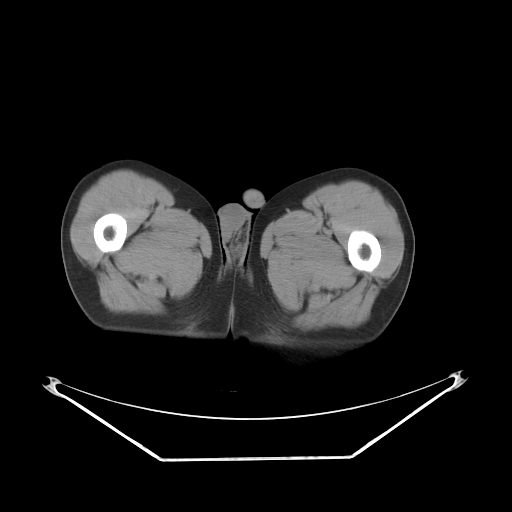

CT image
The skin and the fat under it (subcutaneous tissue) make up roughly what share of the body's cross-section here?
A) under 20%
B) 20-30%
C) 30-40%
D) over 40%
Answer: D) over 40%
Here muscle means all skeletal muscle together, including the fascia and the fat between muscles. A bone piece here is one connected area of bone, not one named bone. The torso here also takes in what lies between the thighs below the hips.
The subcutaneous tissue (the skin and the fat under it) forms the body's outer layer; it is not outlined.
{"right_leg":[[[118,158],[136,158],[144,160],[174,174],[196,188],[210,202],[215,210],[220,241],[232,282],[229,334],[223,343],[209,343],[186,339],[174,339],[103,331],[89,321],[76,302],[68,285],[61,257],[60,225],[63,211],[73,187],[84,174],[105,162]]],"muscle":[{"outer":[[351,178],[365,181],[377,187],[396,210],[404,234],[404,252],[401,265],[395,278],[386,288],[381,290],[372,307],[370,319],[363,325],[352,329],[329,327],[301,331],[291,327],[273,303],[260,256],[261,236],[268,223],[295,201],[303,198],[321,185]],"hole":[[353,230],[366,230],[369,232],[371,232],[377,238],[379,242],[380,248],[381,249],[381,257],[380,258],[380,261],[377,266],[371,272],[362,271],[361,270],[358,270],[356,269],[351,264],[348,259],[348,255],[347,254],[347,241],[350,233]]},{"outer":[[119,168],[129,168],[161,182],[200,218],[211,239],[210,260],[204,275],[188,297],[181,301],[171,303],[168,308],[170,313],[168,317],[129,314],[117,315],[108,312],[100,303],[98,287],[94,276],[78,261],[71,245],[69,229],[82,194],[101,175]],"hole":[[110,212],[118,213],[120,214],[126,220],[126,222],[127,223],[127,235],[122,246],[118,250],[114,251],[113,252],[103,252],[98,248],[98,247],[95,243],[95,241],[93,237],[93,227],[94,226],[94,224],[96,220],[99,217],[106,213],[109,213]]}],"left_leg":[[[342,166],[354,166],[369,170],[389,181],[401,195],[415,236],[415,254],[409,284],[391,322],[372,344],[336,363],[313,371],[301,373],[276,371],[245,343],[240,342],[234,345],[230,334],[233,287],[244,276],[252,228],[265,202],[274,193],[292,182]]],"torso":[[[250,186],[256,187],[261,190],[264,197],[267,199],[260,207],[251,228],[251,233],[249,239],[249,244],[248,245],[243,276],[233,286],[233,282],[228,269],[221,241],[216,210],[222,204],[227,202],[232,201],[241,203],[242,202],[241,192],[243,189]]],"bones":[[[353,230],[366,230],[369,232],[371,232],[377,238],[379,242],[380,248],[381,249],[381,257],[380,258],[380,261],[377,266],[371,272],[362,271],[361,270],[358,270],[356,269],[351,264],[348,259],[348,255],[347,254],[347,241],[350,233]],[[110,212],[118,213],[120,214],[126,220],[126,222],[127,223],[127,235],[122,246],[118,250],[114,251],[113,252],[103,252],[98,248],[98,247],[95,243],[95,241],[93,237],[93,227],[94,226],[94,224],[96,220],[99,217],[106,213],[109,213]]]}